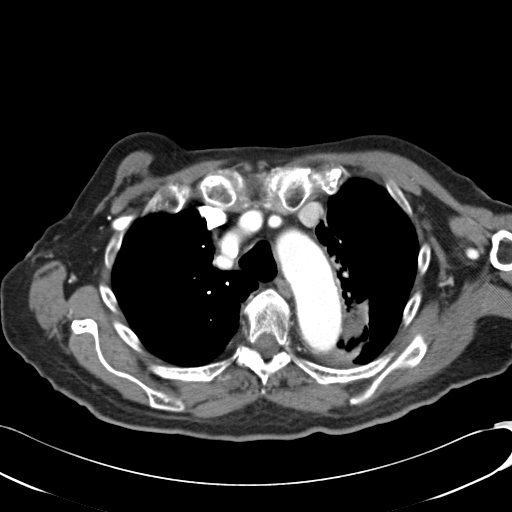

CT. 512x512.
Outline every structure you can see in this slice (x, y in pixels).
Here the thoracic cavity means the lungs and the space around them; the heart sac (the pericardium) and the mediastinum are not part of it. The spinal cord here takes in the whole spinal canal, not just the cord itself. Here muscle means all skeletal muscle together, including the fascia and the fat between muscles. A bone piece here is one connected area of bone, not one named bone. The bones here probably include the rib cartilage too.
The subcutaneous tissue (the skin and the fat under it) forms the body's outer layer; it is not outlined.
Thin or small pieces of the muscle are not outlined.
Outlines:
muscle: 138 149; 155 154; 159 174; 210 159; 253 163; 367 149; 404 156; 462 203; 511 213; 511 231; 495 231; 488 251; 494 268; 511 271; 511 319; 479 318; 473 339; 439 373; 358 414; 319 416; 260 398; 211 417; 154 409; 182 412; 184 403; 114 368; 102 353; 97 322; 74 318; 71 331; 92 335; 105 369; 145 392; 150 407; 125 399; 49 338; 30 310; 33 274; 51 260; 83 285; 95 279; 103 253; 111 284; 98 283; 100 297; 128 325; 114 319; 112 326; 135 351; 144 347; 170 364; 147 364; 163 379; 210 382; 234 363; 259 378; 264 394; 270 375; 292 362; 321 385; 376 376; 349 398; 358 405; 392 371; 417 366; 428 349; 417 333; 393 359; 393 350; 381 354; 418 311; 422 291; 411 291; 432 253; 428 242; 419 244; 412 207; 393 179; 383 186; 341 164; 276 165; 254 174; 265 194; 249 197; 240 171; 219 168; 198 181; 203 200; 184 207; 192 187; 161 184; 144 215; 111 237; 110 215; 94 211; 120 162, around a hole outlined by 425 194; 428 194; 435 198; 441 203; 448 207; 452 211; 446 216; 446 218; 445 219; 447 229; 449 232; 449 242; 445 245; 441 242; 436 235; 436 228; 432 223; 432 221; 428 217; 427 211; 426 210; 426 206; 423 200; 423 197
thoracic cavity 1: 188 207; 195 207; 206 221; 215 247; 215 263; 223 269; 242 270; 257 282; 257 288; 248 296; 241 310; 241 328; 235 348; 219 361; 197 366; 173 365; 149 351; 129 326; 111 287; 111 271; 116 256; 134 221; 149 213; 175 214
thoracic cavity 2: 352 177; 371 180; 384 187; 413 224; 419 248; 416 274; 410 296; 391 340; 380 354; 369 362; 338 368; 310 359; 316 359; 332 349; 338 339; 342 322; 341 296; 336 274; 327 248; 317 236; 316 226; 327 217; 329 197; 335 194
spinal cord: 264 333; 266 333; 267 334; 271 334; 274 337; 275 339; 275 341; 277 343; 277 345; 278 346; 277 348; 277 351; 270 358; 268 359; 265 359; 261 355; 261 354; 254 348; 254 344; 256 342; 257 339; 260 336; 260 335
bones 1: 267 288; 289 306; 298 353; 318 364; 346 369; 390 351; 393 360; 417 334; 427 349; 358 404; 350 398; 376 375; 321 384; 292 361; 269 375; 264 393; 260 378; 234 362; 210 381; 160 377; 149 363; 197 367; 231 354; 249 296 with a hole at 264 333; 266 333; 267 334; 271 334; 274 337; 275 339; 275 341; 277 343; 277 345; 278 346; 277 348; 277 351; 270 358; 268 359; 265 359; 261 355; 261 354; 254 348; 254 344; 256 342; 257 339; 260 336; 260 335
bones 2: 336 165; 344 167; 351 177; 348 178; 339 189; 331 195; 319 187; 316 187; 305 202; 296 209; 285 208; 277 197; 266 197; 266 194; 262 188; 262 183; 255 177; 256 173; 265 172; 269 168; 276 166; 310 167; 316 170; 324 170
bones 3: 226 168; 235 169; 244 176; 246 181; 246 187; 244 190; 244 193; 248 197; 248 199; 243 201; 239 201; 238 200; 233 204; 206 202; 203 199; 200 192; 197 188; 197 185; 199 181; 204 176; 209 173; 213 173; 219 169; 225 169
bones 4: 85 318; 91 318; 96 322; 101 353; 105 360; 114 369; 135 377; 154 390; 179 399; 183 403; 185 407; 184 409; 182 411; 171 411; 151 407; 146 392; 138 384; 106 369; 98 357; 93 335; 89 332; 77 334; 71 329; 72 320
bones 5: 169 182; 176 183; 179 185; 188 185; 191 187; 192 189; 190 195; 184 204; 183 208; 175 213; 169 212; 167 210; 160 210; 155 212; 149 212; 146 214; 143 214; 143 210; 145 205; 151 198; 158 187; 161 185; 164 185; 166 183
bones 6: 500 229; 505 229; 506 230; 511 232; 511 270; 510 270; 509 271; 505 271; 504 270; 500 270; 499 269; 494 267; 490 262; 490 260; 489 259; 489 251; 491 248; 491 237; 492 236; 492 235; 495 232; 496 232; 498 230; 499 230
bones 7: 114 320; 118 320; 120 321; 123 324; 128 326; 133 331; 133 332; 140 340; 142 344; 142 346; 144 350; 143 352; 139 352; 135 350; 128 344; 127 344; 120 337; 120 336; 117 333; 116 330; 113 326; 113 324; 112 322
bones 8: 387 179; 391 179; 393 180; 397 184; 397 185; 403 192; 412 210; 412 216; 411 218; 410 218; 406 214; 406 213; 398 205; 398 204; 392 198; 392 197; 389 194; 389 193; 385 188; 384 186; 384 183
bones 9: 417 290; 420 290; 421 291; 421 301; 419 304; 419 306; 417 309; 417 311; 415 313; 414 316; 412 318; 412 319; 410 321; 408 325; 404 327; 401 324; 401 320; 402 319; 402 315; 403 314; 403 311; 404 310; 404 308; 409 298
bones 10: 116 234; 118 234; 119 235; 122 234; 122 242; 120 245; 119 250; 117 252; 115 256; 115 259; 114 260; 112 268; 110 271; 107 269; 105 265; 105 263; 104 262; 104 252; 105 251; 105 248; 107 244; 109 242; 110 239; 114 235
bones 11: 100 282; 102 282; 106 284; 111 288; 112 292; 114 294; 116 298; 117 303; 118 304; 118 307; 119 308; 119 312; 118 313; 115 313; 113 312; 105 304; 105 303; 103 301; 101 297; 100 292; 99 291; 99 288; 98 287; 98 285
bones 12: 424 242; 426 242; 429 244; 430 246; 430 249; 431 250; 431 253; 430 254; 430 260; 429 261; 429 264; 427 267; 427 269; 424 273; 424 274; 421 276; 417 273; 417 263; 418 262; 418 254; 419 253; 419 249; 420 248; 420 246
mediastinum: 316 191; 329 196; 326 217; 316 224; 315 233; 335 274; 341 322; 331 349; 308 358; 291 332; 292 313; 286 300; 272 287; 253 294; 258 288; 254 277; 218 265; 207 221; 190 206; 198 201; 233 205; 264 195; 296 210
left arm: 505 203; 511 204; 511 318; 508 312; 508 310; 503 301; 503 299; 498 290; 498 288; 494 281; 494 279; 492 275; 492 272; 491 271; 496 225; 498 222; 498 220; 500 217; 500 215; 502 212; 502 210; 504 207
torso: 142 130; 161 132; 191 149; 289 147; 384 133; 437 156; 505 202; 495 225; 490 271; 511 319; 511 366; 453 388; 399 418; 344 434; 209 440; 135 430; 98 419; 56 391; 10 347; 0 323; 0 281; 45 229; 70 210; 109 148